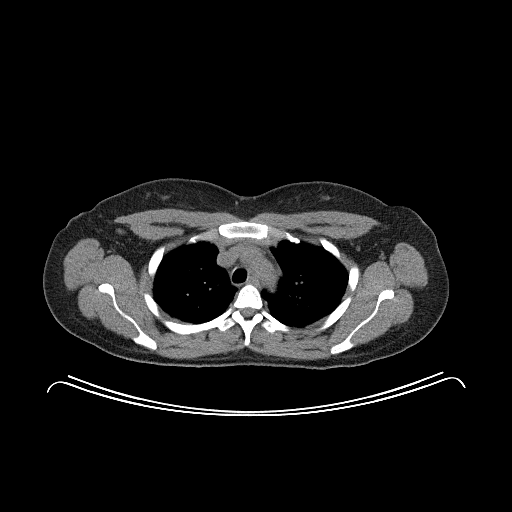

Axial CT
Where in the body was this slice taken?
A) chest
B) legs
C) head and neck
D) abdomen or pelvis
Answer: A) chest
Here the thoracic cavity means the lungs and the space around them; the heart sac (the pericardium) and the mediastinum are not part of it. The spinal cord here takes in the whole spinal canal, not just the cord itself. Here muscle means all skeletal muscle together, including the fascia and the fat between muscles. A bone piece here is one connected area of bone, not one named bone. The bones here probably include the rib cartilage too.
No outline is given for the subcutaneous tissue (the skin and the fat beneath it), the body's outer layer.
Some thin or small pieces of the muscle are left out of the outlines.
The spinal cord is outlined by 243 308; 251 308; 252 309; 253 309; 254 310; 254 313; 253 314; 253 315; 251 317; 250 317; 249 318; 245 318; 242 315; 242 314; 241 313; 241 309; 242 309. The bones appear in 8 outlined pieces: piece 1: 248 284; 259 291; 268 312; 291 327; 288 332; 271 333; 257 323; 250 332; 248 346; 244 345; 244 332; 238 323; 224 331; 213 327; 195 333; 176 333; 148 308; 143 296; 146 292; 152 296; 163 319; 197 324; 222 314; 239 290, around a hole outlined by 243 308; 251 308; 252 309; 253 309; 254 310; 254 313; 253 314; 253 315; 251 317; 250 317; 249 318; 245 318; 242 315; 242 314; 241 313; 241 309; 242 309; piece 2: 238 221; 250 221; 266 224; 282 231; 289 232; 299 238; 300 242; 295 243; 286 239; 281 240; 279 238; 256 239; 242 237; 228 239; 219 237; 213 241; 201 240; 195 243; 186 244; 187 240; 193 235; 212 228; 217 228; 224 223; piece 3: 105 282; 113 286; 114 294; 118 306; 125 313; 129 315; 147 335; 156 342; 157 345; 156 349; 147 348; 133 341; 132 338; 138 334; 138 331; 135 326; 116 310; 113 305; 112 298; 108 293; 101 292; 98 290; 98 286; 101 283; piece 4: 387 288; 390 288; 393 290; 394 293; 393 297; 382 300; 378 306; 378 309; 375 315; 352 335; 350 340; 354 345; 351 348; 345 351; 332 354; 330 352; 330 348; 333 345; 341 342; 361 321; 365 319; 373 311; 379 293; 382 290; piece 5: 348 295; 350 295; 351 296; 351 301; 349 303; 347 308; 342 314; 342 315; 341 315; 337 319; 337 320; 330 326; 327 327; 323 330; 316 331; 316 328; 322 323; 324 318; 325 318; 332 311; 333 311; 342 301; 342 300; piece 6: 162 244; 166 244; 166 247; 165 248; 165 252; 164 253; 164 255; 162 257; 162 259; 159 263; 159 265; 156 270; 156 272; 152 280; 148 272; 148 262; 149 261; 150 256; 152 254; 154 250; 157 247; 158 247; piece 7: 320 237; 323 237; 327 239; 329 241; 333 243; 337 247; 337 248; 339 250; 339 252; 340 253; 340 255; 342 259; 342 263; 331 253; 327 251; 324 248; 323 248; 323 247; 321 245; 320 245; 320 243; 319 242; 319 238; piece 8: 353 264; 356 264; 358 266; 358 268; 359 269; 359 276; 358 277; 358 279; 357 280; 357 283; 355 286; 355 288; 354 290; 353 291; 351 291; 348 288; 347 288; 347 286; 348 285; 348 278; 349 277; 348 275; 348 271. The mediastinum is outlined by 242 238; 280 240; 276 246; 270 247; 270 251; 282 273; 274 293; 269 293; 264 289; 260 292; 254 285; 248 283; 242 286; 235 295; 237 288; 231 284; 226 270; 217 264; 216 258; 218 255; 218 248; 211 242; 217 239; 230 240. The thoracic cavity appears in 2 outlined pieces: piece 1: 282 240; 295 244; 302 241; 321 246; 337 259; 347 271; 347 285; 341 301; 325 317; 302 327; 290 326; 274 317; 269 312; 261 296; 263 290; 269 294; 274 294; 277 290; 279 280; 283 275; 282 270; 271 251; 271 247; 276 247; piece 2: 201 241; 210 242; 217 248; 215 262; 218 266; 225 270; 230 284; 236 288; 236 291; 232 301; 227 308; 219 315; 209 320; 197 323; 180 322; 161 309; 154 299; 152 295; 153 280; 160 263; 166 253; 184 244; 190 245. The muscle appears in 2 outlined pieces: piece 1: 160 208; 224 211; 245 220; 263 212; 286 214; 337 210; 365 215; 381 224; 356 238; 345 248; 347 252; 363 270; 378 260; 387 261; 395 245; 406 242; 424 259; 428 270; 426 287; 405 323; 393 332; 385 332; 354 347; 353 335; 376 315; 382 301; 394 297; 392 288; 382 289; 372 311; 329 348; 334 355; 327 358; 286 358; 262 354; 247 347; 195 358; 170 358; 148 352; 147 349; 157 349; 157 342; 119 306; 111 283; 101 282; 97 290; 108 294; 115 310; 134 326; 137 334; 132 341; 81 314; 64 283; 63 260; 80 239; 95 237; 114 254; 127 260; 136 272; 148 259; 150 245; 126 225; 112 221; 118 216, around a hole outlined by 238 221; 263 223; 316 246; 320 245; 320 237; 333 243; 345 269; 348 271; 353 264; 359 269; 354 290; 347 288; 342 297; 351 296; 342 315; 320 331; 316 328; 322 319; 302 327; 292 326; 288 332; 272 333; 257 323; 248 346; 244 345; 244 332; 238 323; 224 331; 213 327; 187 334; 167 328; 143 296; 146 292; 153 294; 148 272; 150 256; 162 244; 166 244; 167 253; 193 235; piece 2: 160 309; 161 310; 162 310; 166 314; 167 314; 171 318; 172 318; 174 320; 176 320; 176 321; 175 320; 172 320; 171 319; 168 319; 167 318; 163 318; 161 316; 161 313; 160 312. The torso is outlined by 166 177; 204 180; 240 195; 259 194; 291 182; 324 180; 361 189; 389 204; 407 206; 436 237; 449 278; 446 307; 419 342; 394 355; 351 367; 184 367; 109 354; 71 334; 53 317; 43 293; 44 264; 55 235; 73 216; 136 184.